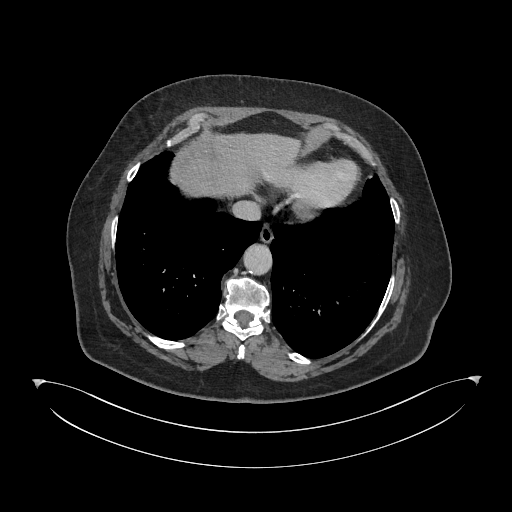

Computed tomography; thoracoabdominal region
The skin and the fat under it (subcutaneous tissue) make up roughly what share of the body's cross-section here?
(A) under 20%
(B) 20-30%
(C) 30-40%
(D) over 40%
(C) 30-40%
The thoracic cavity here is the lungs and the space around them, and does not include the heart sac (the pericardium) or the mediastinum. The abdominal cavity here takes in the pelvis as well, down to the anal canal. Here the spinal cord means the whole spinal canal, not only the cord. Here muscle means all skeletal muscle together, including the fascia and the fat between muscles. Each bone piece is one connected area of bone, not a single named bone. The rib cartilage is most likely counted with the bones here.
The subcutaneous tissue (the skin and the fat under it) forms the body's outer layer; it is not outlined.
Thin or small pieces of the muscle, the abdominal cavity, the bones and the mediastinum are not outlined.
The spinal cord is outlined by (240, 310) (245, 310) (246, 311) (247, 311) (248, 312) (249, 312) (252, 315) (252, 318) (247, 323) (247, 326) (246, 327) (242, 327) (240, 325) (240, 324) (238, 322) (238, 321) (236, 319) (236, 318) (235, 317) (235, 314) (238, 311) (239, 311). The muscle is outlined by (205, 105) (271, 107) (278, 109) (290, 109) (332, 117) (342, 121) (360, 133) (371, 144) (373, 149) (378, 153) (383, 165) (386, 168) (389, 177) (401, 195) (404, 203) (403, 211) (405, 215) (406, 221) (405, 228) (407, 235) (407, 248) (405, 252) (408, 256) (407, 265) (410, 269) (410, 284) (400, 322) (394, 329) (386, 333) (356, 360) (334, 370) (299, 381) (278, 381) (270, 379) (261, 375) (249, 363) (246, 363) (242, 360) (238, 360) (235, 362) (227, 360) (203, 371) (186, 370) (179, 366) (171, 364) (147, 351) (129, 336) (124, 334) (108, 317) (101, 301) (100, 289) (98, 286) (98, 261) (101, 231) (109, 211) (109, 203) (111, 195) (128, 161) (138, 151) (143, 148) (167, 122) (174, 116) (186, 109) (195, 106), around holes outlined by (199, 112) (208, 115) (206, 124) (231, 123) (263, 112) (276, 113) (307, 129) (334, 123) (368, 150) (376, 164) (373, 170) (386, 193) (396, 200) (400, 215) (394, 225) (391, 256) (394, 286) (385, 309) (364, 337) (301, 364) (288, 357) (286, 352) (292, 349) (271, 322) (264, 324) (260, 334) (242, 341) (213, 319) (184, 338) (185, 346) (168, 350) (145, 336) (149, 331) (130, 311) (120, 290) (111, 221) (122, 208) (128, 170) (157, 154) (166, 140) and by (241, 343) (242, 343) (244, 345) (244, 346) (245, 347) (245, 350) (244, 351) (244, 357) (242, 359) (238, 359) (237, 358) (237, 354) (238, 353) (238, 347) (239, 346) (239, 345). The bones appear in 9 outlined pieces: piece 1: (244, 275) (258, 281) (268, 289) (270, 293) (271, 322) (269, 324) (264, 324) (264, 329) (260, 334) (251, 335) (242, 341) (233, 333) (226, 331) (222, 327) (221, 322) (215, 320) (215, 317) (219, 305) (223, 300) (222, 291) (225, 287) (225, 280) (230, 276) (236, 277) with a hole at (240, 310) (245, 310) (246, 311) (247, 311) (248, 312) (249, 312) (252, 315) (252, 318) (247, 323) (247, 326) (246, 327) (242, 327) (240, 325) (240, 324) (238, 322) (238, 321) (236, 319) (236, 318) (235, 317) (235, 314) (238, 311) (239, 311); piece 2: (325, 122) (334, 123) (338, 125) (342, 131) (349, 135) (355, 137) (359, 140) (368, 150) (372, 157) (372, 159) (375, 162) (376, 165) (373, 167) (366, 163) (353, 149) (344, 144) (341, 140) (337, 139) (326, 132) (323, 131) (316, 131) (312, 129) (312, 128) (316, 125); piece 3: (199, 112) (203, 112) (208, 115) (207, 119) (205, 120) (206, 121) (205, 123) (202, 123) (201, 124) (203, 125) (202, 125) (197, 131) (194, 133) (192, 133) (177, 143) (167, 148) (164, 147) (166, 140) (170, 138) (180, 129) (184, 127) (186, 125) (187, 119) (192, 114); piece 4: (392, 273) (393, 273) (395, 276) (394, 286) (393, 287) (391, 295) (389, 298) (388, 303) (385, 309) (371, 330) (364, 337) (358, 340) (358, 338) (360, 335) (366, 329) (375, 316) (378, 310) (378, 308) (382, 301) (384, 294) (386, 291) (386, 289) (390, 279) (390, 276); piece 5: (146, 332) (150, 332) (154, 335) (156, 335) (163, 339) (166, 339) (167, 340) (173, 340) (174, 341) (179, 341) (180, 340) (182, 340) (185, 343) (185, 346) (181, 348) (175, 348) (174, 349) (169, 349) (168, 350) (166, 350) (157, 346) (150, 341) (144, 334) (144, 333); piece 6: (287, 351) (293, 351) (294, 352) (296, 352) (303, 356) (305, 356) (306, 357) (311, 359) (311, 363) (310, 363) (309, 364) (301, 364) (300, 363) (298, 363) (297, 362) (296, 362) (295, 361) (290, 359) (288, 357) (288, 356) (287, 355) (287, 353) (286, 352); piece 7: (115, 214) (118, 214) (118, 220) (117, 221) (117, 229) (116, 230) (116, 237) (115, 238) (115, 250) (114, 251) (112, 249) (112, 248) (111, 247) (111, 234) (110, 233) (110, 232) (111, 231) (111, 221) (112, 220) (112, 218) (113, 217) (113, 216); piece 8: (389, 196) (392, 196) (396, 200) (396, 201) (398, 204) (398, 206) (399, 207) (399, 211) (400, 212) (400, 215) (399, 216) (399, 223) (398, 224) (395, 224) (395, 223) (394, 222) (394, 218) (393, 217) (393, 214) (392, 213) (392, 210) (391, 209) (391, 206) (390, 205); piece 9: (138, 161) (140, 161) (141, 162) (141, 164) (140, 165) (140, 166) (139, 167) (139, 168) (138, 169) (138, 170) (137, 171) (135, 176) (130, 182) (127, 182) (127, 181) (126, 180) (126, 177) (127, 176) (127, 172) (128, 171) (128, 170) (136, 162) (137, 162). The mediastinum appears in 2 outlined pieces: piece 1: (245, 196) (280, 210) (287, 222) (292, 224) (284, 224) (278, 220) (272, 225) (273, 238) (269, 244) (272, 258) (269, 289) (245, 274) (230, 275) (222, 283) (224, 274) (236, 265) (246, 248) (257, 240) (262, 227) (259, 220) (249, 221) (225, 210) (219, 211) (226, 202); piece 2: (333, 137) (337, 140) (341, 141) (344, 145) (353, 150) (366, 164) (373, 168) (373, 170) (375, 172) (372, 174) (371, 177) (365, 181) (359, 199) (346, 206) (343, 206) (347, 204) (360, 192) (364, 179) (364, 169) (362, 167) (360, 161) (351, 153) (335, 144) (327, 142). The abdominal cavity is outlined by (263, 112) (276, 113) (301, 127) (323, 132) (332, 137) (321, 147) (297, 159) (270, 165) (248, 188) (249, 195) (237, 199) (233, 198) (222, 204) (209, 197) (186, 199) (182, 196) (178, 188) (168, 179) (168, 170) (174, 156) (168, 148) (194, 134) (205, 124) (231, 123). The thoracic cavity appears in 2 outlined pieces: piece 1: (164, 148) (173, 154) (167, 179) (182, 197) (186, 200) (209, 198) (221, 204) (219, 212) (225, 211) (249, 222) (261, 222) (256, 240) (222, 276) (222, 300) (214, 319) (193, 335) (179, 340) (154, 334) (136, 319) (120, 290) (115, 261) (119, 213) (128, 184) (141, 165); piece 2: (374, 173) (388, 195) (394, 223) (391, 273) (385, 291) (374, 316) (358, 337) (333, 353) (310, 358) (292, 350) (271, 321) (269, 290) (273, 266) (270, 250) (274, 238) (273, 225) (278, 221) (284, 225) (305, 223) (317, 217) (324, 209) (349, 206) (360, 199) (366, 181). The torso is outlined by (219, 73) (288, 78) (339, 88) (378, 105) (409, 134) (422, 159) (439, 211) (452, 270) (449, 295) (435, 321) (429, 344) (418, 360) (374, 381) (331, 395) (280, 403) (233, 403) (162, 391) (84, 354) (77, 337) (66, 252) (67, 218) (75, 192) (134, 102) (174, 81). The pericardium is outlined by (327, 143) (335, 145) (351, 154) (359, 161) (363, 169) (363, 179) (359, 192) (344, 205) (324, 208) (320, 211) (317, 216) (305, 222) (289, 223) (285, 214) (280, 209) (263, 204) (251, 197) (248, 193) (249, 188) (257, 178) (270, 166) (297, 160) (302, 156) (321, 148).